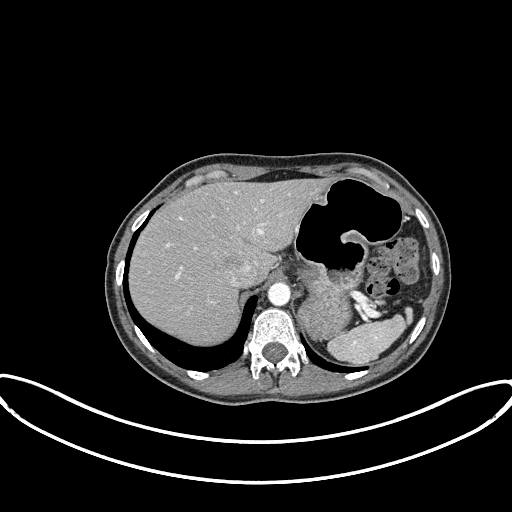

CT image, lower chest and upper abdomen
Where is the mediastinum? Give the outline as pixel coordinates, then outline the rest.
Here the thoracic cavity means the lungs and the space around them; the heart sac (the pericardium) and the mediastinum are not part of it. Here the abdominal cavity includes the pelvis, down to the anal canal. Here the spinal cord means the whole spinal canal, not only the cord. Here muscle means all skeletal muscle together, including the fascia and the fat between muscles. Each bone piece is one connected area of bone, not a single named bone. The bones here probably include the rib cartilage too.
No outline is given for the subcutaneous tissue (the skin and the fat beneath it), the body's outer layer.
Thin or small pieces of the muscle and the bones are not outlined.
Outlines (x, y in pixels):
mediastinum: [[252,322],[253,319],[263,309],[265,309],[268,307],[277,307],[284,309],[291,315],[291,309],[290,308],[291,288],[289,285],[289,283],[285,280],[281,279],[274,280],[270,282],[263,290],[260,292],[258,292],[256,294],[258,297],[258,299],[252,317]]
torso: [[224,405],[264,401],[316,403],[353,396],[397,378],[427,351],[449,298],[450,252],[444,229],[433,208],[394,167],[375,157],[353,152],[285,156],[208,154],[170,170],[125,215],[109,244],[104,273],[107,310],[120,342],[129,355],[158,380],[193,397]]
spinal cord: [[274,363],[278,361],[280,359],[281,359],[286,354],[287,352],[285,347],[283,345],[279,343],[277,343],[276,342],[274,342],[273,343],[269,343],[267,344],[264,347],[262,351],[262,353],[263,355],[268,360]]
thoracic cavity 1: [[202,371],[220,368],[241,355],[257,297],[251,296],[246,302],[236,333],[227,342],[211,348],[190,346],[148,324],[131,302],[127,272],[135,240],[153,212],[163,204],[160,203],[151,210],[131,238],[125,257],[123,293],[134,322],[156,349],[184,368]]
thoracic cavity 2: [[345,373],[346,372],[351,372],[364,369],[367,368],[367,367],[365,366],[363,367],[346,367],[345,366],[338,366],[335,364],[327,362],[320,358],[319,356],[311,350],[300,333],[300,339],[305,346],[308,357],[312,362],[323,368],[333,371],[344,372]]
muscle: [[221,396],[224,396],[225,395],[235,395],[236,394],[253,394],[254,393],[258,393],[259,394],[271,393],[272,394],[281,394],[288,396],[298,396],[305,394],[314,394],[315,393],[316,394],[321,394],[322,393],[335,392],[346,388],[351,388],[360,385],[369,380],[371,380],[394,368],[403,360],[407,358],[421,343],[425,338],[432,325],[436,311],[437,303],[442,291],[443,281],[444,280],[443,257],[441,252],[441,248],[440,247],[438,236],[430,216],[422,204],[406,188],[386,173],[374,167],[364,165],[356,162],[340,162],[339,163],[333,163],[328,165],[314,165],[313,166],[306,165],[305,166],[283,166],[282,167],[249,166],[248,165],[236,165],[229,163],[215,163],[214,164],[209,164],[199,167],[181,175],[164,189],[152,197],[135,213],[129,221],[123,234],[123,236],[121,238],[121,240],[117,247],[114,256],[114,263],[112,268],[113,289],[116,299],[116,306],[117,307],[118,315],[123,326],[123,328],[129,338],[135,345],[159,367],[193,388],[195,388],[203,392],[206,392],[210,394],[220,395]]; inner edge: [[198,380],[208,377],[209,370],[248,355],[254,379],[263,367],[274,374],[287,367],[295,376],[300,363],[310,360],[344,372],[350,380],[367,373],[408,337],[411,343],[425,323],[440,266],[436,253],[429,252],[424,214],[419,208],[414,213],[388,190],[389,183],[362,167],[349,169],[356,174],[333,176],[274,171],[247,180],[205,182],[226,175],[213,170],[188,178],[184,190],[136,218],[115,279],[123,287],[143,344]]
bones 1: [[254,379],[258,378],[258,374],[263,367],[274,374],[287,367],[292,375],[295,376],[300,369],[300,363],[307,363],[309,361],[304,346],[295,330],[293,320],[284,310],[277,308],[263,310],[252,323],[252,328],[245,341],[241,357],[250,356],[250,370]]; inner edge: [[274,363],[278,361],[280,359],[281,359],[286,354],[287,352],[285,347],[283,345],[279,343],[277,343],[276,342],[274,342],[273,343],[269,343],[267,344],[264,347],[262,351],[262,353],[263,355],[268,360]]
bones 2: [[186,187],[190,187],[193,185],[196,185],[199,183],[201,183],[206,179],[210,179],[211,178],[214,178],[215,177],[219,177],[220,176],[226,175],[226,173],[223,170],[213,170],[205,174],[201,174],[200,175],[194,175],[188,178],[184,182],[184,184]]
bones 3: [[386,190],[388,190],[390,187],[389,183],[383,180],[375,173],[362,167],[354,167],[353,168],[350,168],[349,169],[349,170],[351,170],[352,171],[355,171],[357,173],[363,175],[368,179],[370,179],[372,181],[377,183],[380,186],[381,186]]
bones 4: [[409,343],[411,343],[416,338],[416,337],[418,335],[418,334],[421,331],[421,330],[425,323],[425,321],[426,320],[426,318],[424,315],[423,315],[417,322],[417,323],[415,325],[415,326],[414,327],[412,332],[410,334],[410,337],[409,338]]
bones 5: [[118,286],[122,286],[122,279],[123,278],[123,269],[124,268],[124,258],[123,258],[122,259],[121,259],[120,260],[120,261],[118,263],[118,264],[117,265],[117,266],[116,267],[116,269],[115,270],[115,279],[116,280],[116,283],[117,284],[117,285]]
bones 6: [[152,352],[155,352],[156,350],[147,340],[147,339],[142,333],[142,332],[139,329],[139,328],[134,323],[133,323],[133,326],[134,327],[134,329],[135,330],[135,332],[136,334],[138,336],[140,340],[143,343],[143,344],[150,351]]
bones 7: [[132,232],[134,232],[141,225],[141,224],[144,221],[144,220],[146,218],[146,217],[148,215],[148,214],[150,211],[150,210],[149,209],[147,209],[145,211],[144,211],[136,218],[136,219],[132,224],[132,226],[131,227],[131,230],[132,231]]
bones 8: [[424,228],[427,228],[429,226],[429,224],[428,223],[428,221],[427,220],[427,219],[426,218],[426,217],[424,215],[424,214],[421,211],[421,210],[419,208],[415,208],[415,215],[419,220],[419,221],[420,222],[420,223],[421,224],[421,225]]
bones 9: [[350,380],[351,379],[354,379],[355,378],[360,377],[364,374],[367,373],[369,370],[368,369],[368,368],[367,369],[365,369],[364,370],[361,370],[360,371],[357,371],[356,372],[352,372],[351,373],[346,373],[344,375],[344,377],[346,379],[349,379]]
abdominal cavity: [[368,367],[407,340],[425,314],[435,285],[423,228],[401,198],[358,174],[274,171],[186,188],[162,202],[140,232],[130,259],[128,286],[140,315],[157,329],[193,346],[219,345],[235,333],[247,299],[281,278],[292,288],[296,330],[312,350],[338,365]]